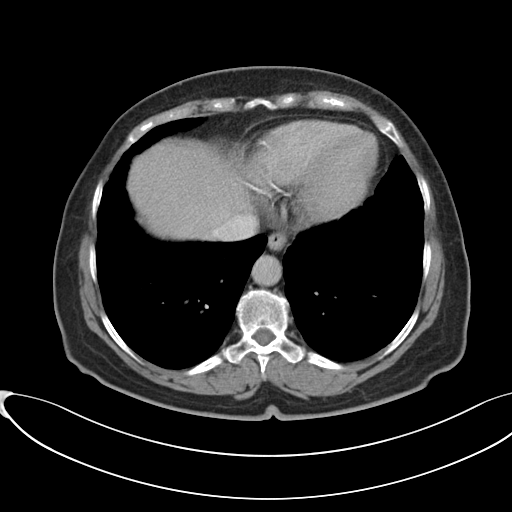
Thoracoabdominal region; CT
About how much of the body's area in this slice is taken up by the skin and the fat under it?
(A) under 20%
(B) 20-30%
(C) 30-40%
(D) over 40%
(B) 20-30%
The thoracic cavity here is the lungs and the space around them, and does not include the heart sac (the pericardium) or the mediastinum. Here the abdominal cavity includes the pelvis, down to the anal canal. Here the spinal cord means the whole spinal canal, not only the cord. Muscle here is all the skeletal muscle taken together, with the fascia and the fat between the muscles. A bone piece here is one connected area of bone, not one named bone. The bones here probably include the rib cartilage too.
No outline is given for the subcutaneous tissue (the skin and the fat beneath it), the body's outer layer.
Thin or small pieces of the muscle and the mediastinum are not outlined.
The abdominal cavity is outlined by [[188,130],[196,130],[198,132],[213,132],[223,134],[230,138],[236,138],[239,155],[246,170],[257,213],[251,225],[241,235],[217,241],[161,241],[154,239],[146,234],[134,220],[134,212],[125,187],[129,164],[133,156],[166,136],[176,132],[185,132]]. The torso is outlined by [[249,65],[313,67],[367,83],[409,115],[437,158],[462,228],[470,273],[470,313],[462,358],[422,389],[380,405],[326,417],[222,419],[175,411],[134,398],[83,373],[66,357],[53,306],[53,258],[63,208],[84,165],[112,123],[140,99],[196,74]]. The spinal cord is outlined by [[259,329],[268,329],[274,335],[274,338],[272,340],[271,340],[268,343],[267,343],[266,344],[265,344],[264,345],[262,345],[261,344],[260,344],[253,337],[253,336],[254,335],[254,334],[257,331],[257,330],[258,330]]. The mediastinum appears in 2 outlined pieces: piece 1: [[258,214],[263,217],[276,218],[293,232],[299,232],[287,247],[282,258],[284,295],[265,288],[252,288],[243,292],[254,262],[265,249],[267,243],[267,236],[265,234],[259,233],[240,240],[224,240],[229,240],[230,238],[235,238],[244,234],[252,225]]; piece 2: [[299,106],[311,109],[360,112],[393,142],[400,153],[393,157],[389,165],[386,143],[372,125],[354,117],[337,114],[304,112],[273,115],[252,122],[236,137],[213,131],[192,129],[204,120],[204,117],[201,116],[204,115],[247,111],[255,108],[273,111]]. The thoracic cavity appears in 2 outlined pieces: piece 1: [[197,116],[203,120],[191,129],[166,135],[132,156],[124,187],[133,220],[146,235],[161,242],[232,242],[263,234],[266,243],[251,266],[235,306],[239,337],[188,368],[172,369],[136,353],[105,311],[96,263],[97,212],[104,186],[128,148],[160,124]]; piece 2: [[398,154],[404,157],[415,176],[424,213],[422,275],[416,303],[404,325],[384,347],[362,359],[339,362],[297,342],[294,339],[297,337],[296,334],[292,329],[288,335],[290,303],[285,295],[283,258],[300,232],[338,220],[361,206],[374,193],[392,160]]. The pericardium is outlined by [[304,113],[345,116],[354,118],[369,124],[379,134],[385,143],[388,166],[373,192],[363,201],[361,205],[351,209],[338,219],[314,225],[307,229],[295,232],[278,218],[263,216],[257,212],[247,170],[240,155],[237,136],[252,123],[265,118],[286,114]]. The bones appear in 12 outlined pieces: piece 1: [[252,289],[285,296],[289,303],[287,335],[292,330],[297,343],[345,368],[321,367],[308,362],[306,357],[292,363],[273,351],[269,354],[264,378],[256,353],[250,351],[238,363],[224,359],[209,370],[185,374],[186,370],[240,337],[235,310],[241,295]] with a hole at [[259,329],[268,329],[274,335],[274,338],[272,340],[271,340],[268,343],[267,343],[266,344],[265,344],[264,345],[262,345],[261,344],[260,344],[253,337],[253,336],[254,335],[254,334],[257,331],[257,330],[258,330]]; piece 2: [[188,106],[195,106],[196,107],[189,116],[170,120],[163,123],[160,123],[152,127],[129,147],[125,149],[125,145],[126,144],[127,137],[130,132],[134,129],[150,120],[154,120],[157,117],[161,115],[163,115],[169,111],[183,108],[184,107],[187,107]]; piece 3: [[289,93],[293,93],[296,95],[300,95],[302,97],[302,99],[300,101],[289,107],[278,108],[273,110],[270,110],[262,105],[258,105],[254,108],[248,109],[247,110],[243,109],[242,107],[245,102],[255,97],[262,97],[265,99],[274,101],[276,98]]; piece 4: [[317,94],[324,94],[328,96],[334,96],[338,98],[341,98],[345,101],[351,102],[353,104],[353,110],[344,110],[343,109],[337,109],[336,108],[334,109],[330,109],[329,108],[311,108],[310,107],[308,107],[307,105],[307,100],[310,97]]; piece 5: [[373,113],[375,113],[381,116],[383,118],[391,121],[393,123],[399,135],[399,137],[403,143],[403,146],[402,147],[399,148],[394,143],[394,142],[392,141],[391,139],[382,133],[378,129],[376,125],[372,121],[372,120],[370,119],[370,115]]; piece 6: [[416,307],[418,307],[419,309],[419,313],[418,314],[417,319],[409,333],[405,337],[405,338],[391,352],[390,352],[388,354],[381,358],[378,358],[378,357],[383,352],[384,348],[398,334],[398,333],[405,325],[405,324],[411,316],[412,313],[414,311]]; piece 7: [[102,311],[104,311],[105,312],[110,322],[112,324],[113,327],[117,333],[124,341],[124,342],[136,354],[136,355],[141,361],[141,363],[135,360],[130,355],[129,355],[124,350],[123,350],[111,337],[105,328],[101,320],[101,318],[100,317],[100,313]]; piece 8: [[231,98],[233,98],[235,100],[235,101],[236,102],[236,105],[239,108],[239,109],[236,111],[217,111],[216,110],[212,110],[211,109],[208,109],[205,107],[205,105],[206,104],[206,102],[207,101],[208,101],[211,99],[230,99]]; piece 9: [[418,173],[422,175],[425,179],[427,186],[428,187],[428,190],[429,191],[429,210],[427,213],[425,213],[424,212],[424,208],[423,207],[423,199],[422,198],[422,195],[421,194],[421,192],[420,191],[420,189],[417,182],[417,179],[416,178],[416,175]]; piece 10: [[425,240],[427,240],[430,244],[430,247],[431,248],[431,258],[430,259],[430,264],[429,265],[429,269],[428,270],[428,273],[426,276],[426,278],[423,281],[422,280],[422,276],[423,275],[422,260],[423,259],[423,248],[424,247],[424,241]]; piece 11: [[99,180],[101,180],[102,181],[103,183],[103,188],[102,189],[102,194],[101,195],[100,202],[97,208],[97,211],[96,212],[96,219],[95,220],[92,216],[92,199],[93,198],[93,195],[94,194],[94,191],[95,190],[96,185]]; piece 12: [[91,243],[93,243],[95,246],[95,263],[96,264],[96,275],[97,276],[97,283],[95,283],[94,282],[94,281],[93,280],[93,279],[91,276],[91,273],[90,272],[90,269],[89,268],[89,246]]. The muscle appears in 3 outlined pieces: piece 1: [[397,129],[431,188],[445,274],[433,323],[388,368],[334,396],[303,399],[266,381],[251,397],[237,400],[231,395],[196,394],[158,384],[128,366],[87,326],[78,283],[80,240],[86,227],[87,207],[98,176],[126,137],[125,150],[107,181],[104,185],[99,179],[97,181],[97,182],[95,185],[91,199],[91,200],[91,216],[96,220],[96,240],[88,246],[90,276],[98,284],[104,309],[99,317],[123,351],[141,364],[137,354],[162,368],[187,369],[187,376],[209,371],[224,360],[238,364],[253,352],[264,379],[273,352],[292,364],[306,358],[310,364],[338,371],[346,368],[341,363],[362,360],[383,348],[377,358],[385,357],[406,338],[418,319],[420,309],[416,304],[432,258],[431,244],[424,239],[429,187],[400,152],[404,143]]; piece 2: [[312,90],[328,90],[352,96],[371,106],[389,119],[375,112],[371,113],[368,117],[360,111],[355,111],[354,104],[351,101],[324,93],[317,93],[310,96],[306,100],[307,106],[293,106],[303,99],[300,94],[296,94],[295,93],[294,93],[293,92],[289,92],[288,93],[285,93],[282,94],[274,100],[258,96],[275,93],[279,94],[287,92],[306,92]]; piece 3: [[237,95],[246,95],[247,96],[252,96],[254,97],[245,101],[242,104],[242,106],[241,107],[242,109],[240,109],[237,105],[236,100],[233,97],[231,97],[230,98],[211,98],[205,102],[204,107],[208,110],[219,112],[216,112],[212,114],[204,114],[203,115],[190,116],[197,108],[197,107],[195,105],[188,105],[187,106],[184,106],[183,107],[180,107],[179,108],[169,110],[165,113],[157,116],[154,119],[150,119],[140,124],[130,131],[135,126],[139,124],[148,117],[152,116],[155,114],[157,114],[160,112],[168,110],[171,108],[173,108],[187,101],[195,100],[196,99],[202,99],[203,98],[217,98],[218,97],[229,97],[230,96],[231,97],[232,96],[236,96]].